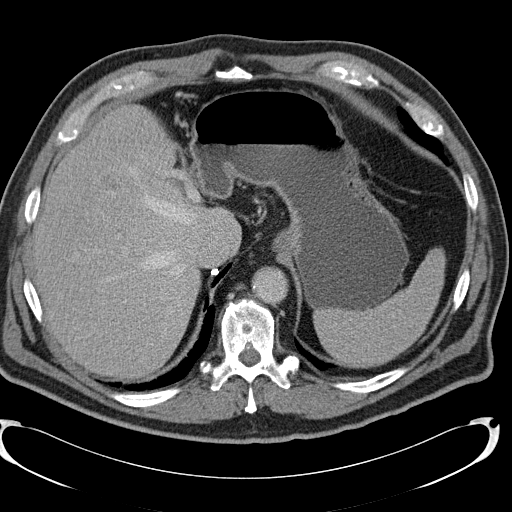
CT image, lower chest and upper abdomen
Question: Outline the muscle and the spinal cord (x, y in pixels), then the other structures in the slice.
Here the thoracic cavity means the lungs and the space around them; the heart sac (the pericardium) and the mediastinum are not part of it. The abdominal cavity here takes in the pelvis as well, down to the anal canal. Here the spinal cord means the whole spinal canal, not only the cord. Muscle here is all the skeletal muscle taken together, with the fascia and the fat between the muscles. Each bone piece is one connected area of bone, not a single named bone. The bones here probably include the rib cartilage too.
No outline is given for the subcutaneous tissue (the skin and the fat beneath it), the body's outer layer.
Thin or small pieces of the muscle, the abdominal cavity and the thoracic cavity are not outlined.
Answer: Outlines:
muscle 1: [[215,47],[236,55],[347,52],[383,68],[441,115],[477,172],[492,247],[487,310],[468,353],[341,415],[309,419],[257,411],[252,385],[256,377],[265,375],[286,390],[292,384],[289,374],[300,369],[301,359],[320,372],[347,378],[331,383],[342,391],[365,394],[394,382],[410,369],[399,366],[434,335],[450,300],[450,312],[457,311],[470,284],[470,269],[462,268],[468,208],[477,211],[478,191],[470,173],[461,175],[444,148],[443,125],[415,101],[405,100],[402,106],[375,89],[380,81],[360,64],[334,59],[320,63],[315,72],[336,81],[254,78],[238,64],[216,68],[215,77],[248,80],[168,83],[143,69],[112,78],[68,115],[54,142],[69,143],[24,203],[24,219],[33,225],[31,280],[23,279],[23,294],[35,319],[43,321],[80,372],[119,390],[108,392],[108,397],[144,408],[178,394],[181,387],[170,386],[198,365],[201,374],[210,374],[212,391],[233,375],[241,377],[248,385],[247,413],[209,423],[144,417],[103,404],[6,354],[2,329],[15,217],[33,164],[66,107],[120,67]]
muscle 2: [[217,341],[219,343],[219,344],[222,349],[222,351],[223,352],[223,355],[222,356],[221,359],[217,363],[213,363],[213,362],[210,359],[208,359],[207,358],[203,358],[204,357],[204,356],[206,354],[206,353],[207,353],[208,352],[208,351],[217,342]]
muscle 3: [[276,332],[278,335],[278,338],[280,342],[286,348],[295,353],[288,353],[287,354],[285,354],[280,360],[278,360],[277,359],[274,353],[274,350],[276,349],[276,350],[280,353],[282,353],[284,351],[284,350],[282,346],[280,344],[278,343],[276,344]]
spinal cord: [[250,348],[253,348],[258,353],[258,354],[259,355],[259,360],[257,362],[256,362],[254,364],[253,364],[252,365],[246,365],[243,362],[242,362],[240,360],[240,359],[239,358],[239,356],[240,355],[240,354],[245,349],[249,349]]
mediastinum 1: [[252,256],[275,256],[287,266],[291,273],[295,286],[292,337],[297,354],[281,342],[276,331],[275,316],[272,311],[253,298],[247,297],[241,297],[235,301],[230,300],[223,306],[218,315],[217,340],[207,351],[215,317],[214,296],[218,282],[236,260]]
mediastinum 2: [[362,89],[367,89],[368,90],[374,89],[375,90],[384,92],[386,94],[389,95],[393,98],[398,104],[399,104],[399,105],[396,107],[395,110],[396,113],[389,113],[386,111],[383,107],[380,105],[378,105],[375,101],[368,97],[368,96],[362,91]]
thoracic cavity 1: [[209,304],[214,305],[214,317],[207,345],[207,352],[198,364],[185,377],[166,388],[148,392],[121,391],[117,388],[110,387],[104,384],[116,382],[120,383],[122,386],[143,384],[155,380],[177,366],[188,355],[188,353],[198,339],[202,328],[206,309]]
thoracic cavity 2: [[398,106],[401,106],[408,113],[416,125],[423,132],[438,139],[441,142],[443,146],[443,152],[447,156],[449,160],[449,163],[448,164],[444,163],[444,162],[436,155],[435,153],[430,151],[408,135],[403,124],[398,118],[397,112],[396,111]]
thoracic cavity 3: [[294,339],[295,339],[304,349],[305,349],[308,352],[315,356],[318,359],[324,362],[326,362],[333,365],[333,368],[329,370],[327,370],[324,372],[323,371],[320,371],[310,365],[303,359],[301,358],[300,359],[300,356],[298,355],[298,351],[297,350]]
thoracic cavity 4: [[226,265],[230,265],[229,266],[228,269],[225,272],[225,273],[220,278],[220,279],[217,282],[217,283],[214,286],[213,285],[212,285],[212,282],[213,281],[213,279],[214,278],[214,276],[216,274],[217,274],[218,273],[218,272],[220,269],[223,268]]
bones 1: [[241,298],[253,299],[274,316],[275,344],[283,350],[273,350],[276,359],[295,354],[300,360],[286,389],[265,374],[255,377],[254,413],[244,411],[249,385],[241,376],[233,374],[212,390],[211,374],[198,368],[203,359],[213,364],[222,359],[219,315]]; inner edge: [[250,348],[253,348],[258,353],[258,354],[259,355],[259,360],[257,362],[256,362],[254,364],[253,364],[252,365],[246,365],[243,362],[242,362],[240,360],[240,359],[239,358],[239,356],[240,355],[240,354],[245,349],[249,349]]
bones 2: [[140,70],[151,72],[156,77],[151,83],[105,99],[99,103],[88,114],[83,123],[81,130],[75,139],[65,142],[60,145],[56,144],[55,140],[58,132],[64,125],[64,123],[69,115],[77,107],[87,100],[101,86],[112,79]]
bones 3: [[334,60],[350,61],[360,65],[379,81],[379,83],[380,84],[379,86],[378,87],[375,87],[370,89],[368,89],[365,87],[358,87],[351,84],[337,81],[334,79],[326,77],[320,73],[317,73],[316,72],[316,69],[320,64],[327,61],[333,61]]
bones 4: [[402,366],[404,367],[408,367],[409,368],[405,373],[387,385],[373,391],[370,391],[365,393],[358,393],[349,390],[342,390],[339,388],[334,387],[332,385],[332,383],[337,381],[362,381],[368,379],[377,374],[388,371],[397,367],[401,367]]
bones 5: [[173,386],[178,386],[180,387],[181,389],[180,391],[174,396],[160,403],[154,405],[145,406],[144,407],[134,407],[133,406],[126,405],[117,401],[115,399],[107,395],[108,393],[114,393],[115,392],[148,393],[157,390],[163,390]]
bones 6: [[405,101],[415,102],[417,104],[422,106],[424,108],[426,108],[430,112],[431,112],[432,114],[433,114],[433,115],[443,127],[443,131],[444,133],[441,140],[432,135],[430,135],[426,133],[417,125],[417,124],[409,114],[409,113],[403,107],[403,103]]
bones 7: [[465,268],[468,268],[469,269],[469,284],[467,288],[467,291],[463,301],[456,310],[456,311],[454,312],[451,312],[451,309],[453,304],[452,302],[452,296],[453,295],[453,292],[456,286],[456,284],[458,281],[458,279],[462,273],[463,270]]
bones 8: [[26,277],[31,281],[35,289],[35,291],[37,294],[37,296],[39,300],[39,303],[41,307],[41,312],[42,313],[42,322],[40,323],[36,319],[34,314],[32,312],[24,294],[24,291],[23,290],[23,282],[24,281],[24,279]]
bones 9: [[36,185],[38,185],[40,187],[40,199],[39,200],[39,206],[38,207],[37,214],[36,215],[36,217],[34,221],[31,224],[28,224],[25,219],[25,216],[24,215],[24,211],[25,210],[25,203],[26,202],[26,199],[29,193],[31,191],[31,190]]
bones 10: [[463,172],[467,172],[469,173],[473,180],[473,182],[475,185],[475,187],[477,191],[478,202],[477,203],[477,207],[475,212],[473,212],[468,207],[466,202],[466,198],[464,193],[463,180],[462,179],[462,173]]
bones 11: [[234,65],[238,65],[240,67],[241,67],[242,68],[245,69],[247,71],[249,71],[250,72],[251,72],[253,75],[253,78],[252,78],[251,79],[244,79],[243,78],[220,78],[219,77],[216,77],[216,76],[215,75],[215,70],[216,69],[228,69]]
abdominal cavity: [[280,78],[363,88],[410,138],[454,162],[465,251],[437,329],[396,367],[362,380],[326,373],[334,365],[293,337],[290,269],[275,255],[252,255],[213,276],[197,339],[169,371],[127,385],[89,377],[48,331],[32,282],[48,168],[111,97],[155,80]]
torso: [[214,33],[367,44],[415,68],[449,102],[491,171],[508,236],[508,273],[491,334],[494,363],[487,378],[397,415],[329,436],[296,438],[281,443],[219,444],[163,437],[116,426],[14,384],[0,374],[0,200],[43,113],[76,73],[107,54]]